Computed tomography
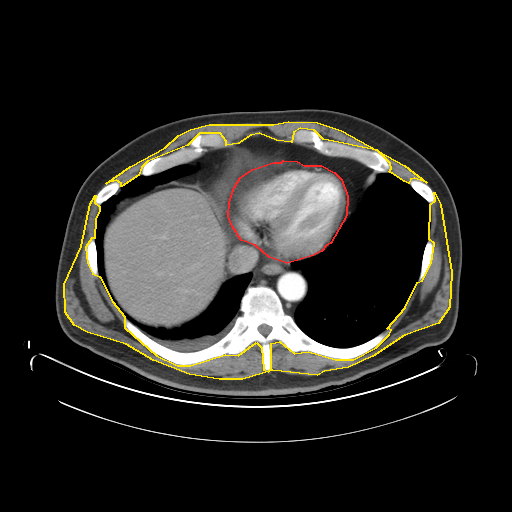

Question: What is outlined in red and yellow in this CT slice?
Answer: red: pericardium; yellow: muscle.
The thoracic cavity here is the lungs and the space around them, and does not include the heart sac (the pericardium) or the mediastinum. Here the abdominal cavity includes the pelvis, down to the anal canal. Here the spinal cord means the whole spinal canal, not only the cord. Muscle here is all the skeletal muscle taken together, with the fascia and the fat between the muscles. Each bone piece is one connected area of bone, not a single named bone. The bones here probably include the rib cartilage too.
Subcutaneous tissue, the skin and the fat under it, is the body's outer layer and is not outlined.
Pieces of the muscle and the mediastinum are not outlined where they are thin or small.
The pericardium is outlined by 283,160 297,161 304,165 321,165 334,172 341,179 347,196 346,215 330,243 326,245 321,251 313,255 287,263 269,257 255,245 241,240 232,226 228,216 229,202 234,187 240,177 252,169 273,162 281,162. The muscle appears in 2 outlined pieces: piece 1: 434,192 440,204 451,272 449,307 438,323 404,335 372,356 348,367 324,371 317,375 272,370 242,379 219,379 189,374 153,360 126,344 87,332 74,325 65,312 64,284 81,246 90,203 95,195 94,202 99,206 99,210 95,219 94,238 91,238 85,247 87,263 92,273 99,276 112,301 124,316 124,327 156,355 177,365 190,365 225,354 238,355 256,342 261,347 263,369 268,371 271,368 271,343 279,341 294,353 308,351 335,359 353,359 376,347 389,334 391,330 387,328 405,307 417,282 422,280 431,263 434,243 429,239 430,204 435,200; piece 2: 288,121 317,122 341,130 404,165 426,182 414,178 410,179 408,183 404,181 389,171 391,168 390,163 377,150 323,139 314,130 300,128 293,132 291,142 276,140 259,133 250,135 238,143 226,145 226,141 220,133 199,133 187,145 147,161 141,167 138,175 121,186 121,183 116,180 106,183 130,166 165,147 178,135 190,129 209,124 273,124. The bones appear in 7 outlined pieces: piece 1: 248,286 271,288 297,326 330,347 357,346 390,331 376,346 348,359 308,350 294,352 273,340 268,370 264,369 261,344 256,341 238,354 177,364 137,340 123,318 167,348 195,352 216,343 232,328; inner edge: 262,324 266,324 267,325 268,325 269,326 270,326 271,327 271,330 270,331 270,332 267,335 263,335 260,332 259,332 259,331 258,330 258,327 260,325 261,325; piece 2: 300,129 314,131 323,140 331,140 353,147 362,148 370,151 377,151 386,159 390,165 390,168 388,171 378,172 359,161 351,158 323,154 313,148 313,144 311,142 301,144 292,142 292,136 294,132; piece 3: 208,133 220,134 225,141 225,145 217,148 208,147 207,151 204,152 200,156 185,163 181,163 172,166 157,173 154,173 150,175 140,174 142,167 150,160 156,157 166,156 183,146 185,147 187,146 197,135; piece 4: 114,181 116,181 120,183 120,187 117,191 117,192 113,195 112,195 105,201 104,201 100,205 97,205 95,202 95,198 96,197 96,195 98,191 103,186 104,186 106,184 110,182 113,182; piece 5: 412,179 414,179 415,180 420,180 421,181 426,183 431,188 431,189 433,192 433,195 434,196 434,200 433,201 433,202 432,202 431,203 429,203 423,197 422,197 410,185 409,182 410,181 410,180 411,180; piece 6: 428,240 430,240 433,243 433,253 431,257 431,260 430,261 430,263 423,277 420,281 418,281 418,278 419,277 419,275 420,274 420,270 421,269 421,263 422,262 423,253 424,252 424,249 425,248 426,243; piece 7: 91,239 94,239 94,242 95,243 95,248 96,249 96,255 97,256 97,271 98,272 98,276 96,276 93,273 93,272 91,270 91,268 87,260 87,254 86,253 86,247 87,246 87,243. The torso is outlined by 302,108 344,112 379,125 422,154 446,182 457,209 462,240 458,316 446,341 345,385 289,396 228,397 180,391 154,383 77,345 64,333 55,309 58,260 75,196 96,166 140,134 174,120 218,112. The mediastinum appears in 3 outlined pieces: piece 1: 237,236 241,241 261,250 269,258 286,264 291,263 295,269 302,272 307,281 308,289 305,297 295,309 293,316 285,311 278,294 271,287 265,285 249,285 253,276 251,271 234,275 231,278 227,277 227,257; piece 2: 290,143 299,144 312,148 326,156 351,159 377,172 373,181 365,190 356,210 343,224 348,211 348,196 346,187 342,179 334,171 321,164 316,163 304,164 300,163 297,160 282,158 280,150 285,144; piece 3: 214,149 224,149 225,151 225,158 224,161 218,171 215,174 205,180 196,181 195,182 185,182 182,180 177,179 183,176 188,175 192,171 192,168 186,163 200,157 204,153 207,152 208,150 213,150. The thoracic cavity appears in 2 outlined pieces: piece 1: 385,172 390,172 409,184 429,204 430,227 417,281 404,307 384,330 362,343 349,347 334,347 321,343 306,334 294,319 296,309 306,297 309,286 303,272 295,268 292,263 325,250 341,226 357,210 376,175; piece 2: 181,164 191,168 188,174 115,204 103,230 103,268 109,291 126,314 144,326 167,330 199,316 225,282 251,272 240,299 240,314 231,328 195,351 159,343 122,313 100,278 95,242 96,219 104,202 139,175. The abdominal cavity is outlined by 259,134 289,143 279,150 281,161 250,169 233,187 227,216 237,235 226,257 225,275 229,279 199,315 179,327 153,327 133,319 112,295 104,268 104,230 116,204 174,180 205,181 225,161 225,149 218,148. The spinal cord is outlined by 262,324 266,324 267,325 268,325 269,326 270,326 271,327 271,330 270,331 270,332 267,335 263,335 260,332 259,332 259,331 258,330 258,327 260,325 261,325.